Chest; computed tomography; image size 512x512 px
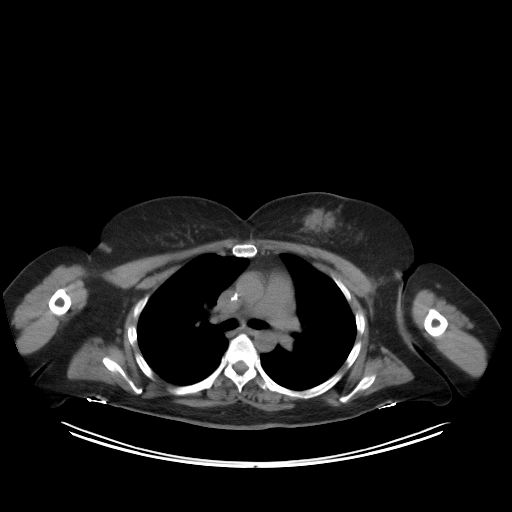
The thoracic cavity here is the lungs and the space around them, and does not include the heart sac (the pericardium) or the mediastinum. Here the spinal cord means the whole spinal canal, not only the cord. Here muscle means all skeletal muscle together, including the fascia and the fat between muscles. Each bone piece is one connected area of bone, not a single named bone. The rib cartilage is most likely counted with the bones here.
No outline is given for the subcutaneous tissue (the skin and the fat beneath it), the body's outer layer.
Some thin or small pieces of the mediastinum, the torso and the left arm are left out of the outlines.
Outlined structures:
torso: 307,191 371,201 407,229 414,260 403,274 401,326 451,389 448,403 395,402 345,420 257,430 204,427 95,397 70,398 56,407 48,403 35,380 87,315 90,251 115,213 183,194 216,200 246,218 271,199
pericardium: 277,268 280,268 286,271 290,277 293,287 293,295 295,301 295,311 292,313 265,313 259,311 254,311 253,307 256,304 256,302 262,296 264,288 260,276 257,275 255,273 255,271 256,270 264,271
spinal cord: 239,361 242,361 247,366 247,369 244,372 243,372 242,373 238,373 233,368 233,365 234,364 235,364 237,362 238,362
right arm: 65,244 73,244 82,248 87,252 89,252 91,299 89,301 86,315 76,332 33,375 30,375 24,361 20,354 16,350 14,345 14,337 10,328 10,324 6,313 3,291 21,269 31,260 48,249
bones 1: 240,333 253,343 264,371 283,387 300,391 324,382 337,372 342,377 328,390 306,399 262,389 257,377 239,392 234,382 223,375 219,384 209,388 172,394 168,390 170,386 190,385 210,375 220,364 229,341, around a hole outlined by 239,361 242,361 247,366 247,369 244,372 243,372 242,373 238,373 233,368 233,365 234,364 235,364 237,362 238,362
bones 2: 430,308 434,308 436,310 437,310 447,320 447,327 445,329 444,332 441,335 440,335 439,336 437,336 436,337 434,337 433,336 430,335 426,331 426,330 423,325 423,322 424,321 424,318 427,314 427,313
bones 3: 59,288 65,288 65,291 71,299 71,304 68,310 62,315 56,315 54,314 50,310 49,308 49,306 48,305 48,302 49,301 49,299 50,297 54,293 54,292 57,289
bones 4: 105,356 107,356 114,361 115,361 122,368 122,369 126,373 128,377 134,383 134,384 137,387 142,388 142,392 140,394 136,394 134,392 130,385 118,372 111,372 104,365 104,364 102,362 102,358
bones 5: 371,374 375,374 375,379 370,386 369,386 366,389 364,389 363,390 359,390 357,391 348,400 348,401 347,401 345,403 341,402 339,400 339,398 341,396 346,395 348,393 349,393 364,376 366,375 370,375
bones 6: 246,243 250,243 251,244 253,244 256,246 256,247 258,250 258,252 254,256 252,256 251,257 239,257 238,256 236,256 235,255 234,255 231,253 231,248 235,244 245,244
bones 7: 135,353 140,353 141,354 141,355 143,357 143,358 145,360 145,361 147,363 147,364 154,372 154,379 151,379 150,378 149,378 147,376 146,376 144,374 144,373 140,369 140,368 139,367 139,366 135,359
bones 8: 357,341 361,341 361,347 360,348 359,353 358,354 357,357 353,362 353,363 348,368 347,368 346,367 346,365 345,364 345,360 346,359 346,358 348,356 348,355 349,354 351,349 353,347 355,342 356,342
bones 9: 358,311 359,311 360,312 361,312 363,314 363,315 364,316 364,320 365,321 365,324 364,325 364,329 363,330 363,332 362,333 362,334 360,334 357,332 357,328 356,327 356,322 355,321 355,313
bones 10: 331,275 334,275 338,279 339,279 347,288 347,289 349,291 349,292 351,295 351,299 350,300 350,301 348,301 346,299 346,298 345,297 344,294 342,292 342,291 340,289 340,288 332,279 332,278 331,277
bones 11: 146,295 148,295 149,296 149,298 148,299 148,300 146,302 145,305 143,307 142,310 140,312 138,317 137,318 134,318 134,317 133,316 133,311 134,310 134,308 135,307 136,304 138,302 138,301 139,301
bones 12: 132,325 133,325 134,326 135,326 136,327 136,335 137,336 137,340 136,341 136,342 133,345 131,345 131,344 129,342 129,340 128,339 128,336 127,335 127,330 128,329 128,327 129,327 130,326 131,326
mediastinum: 271,251 285,252 280,257 291,276 295,300 286,270 256,269 263,288 252,310 292,314 296,303 297,319 283,334 281,344 259,353 246,333 229,340 224,335 226,323 218,322 215,307 219,294 247,266 247,258
muscle 1: 227,238 236,238 239,240 258,238 296,242 325,249 353,263 375,281 378,286 370,303 360,301 366,310 369,343 382,344 399,358 413,373 414,378 412,380 383,387 346,403 357,392 366,390 375,381 375,373 366,374 349,392 338,398 338,400 343,403 339,406 332,406 320,400 310,399 301,401 289,409 266,411 241,401 223,406 193,407 165,399 144,398 139,395 143,392 143,388 137,386 123,368 107,355 101,358 103,365 111,373 118,373 135,394 118,385 102,381 69,379 66,372 72,355 89,338 100,337 105,342 113,342 117,337 121,338 128,312 136,300 144,293 143,290 138,290 133,287 128,289 116,287 97,275 91,275 85,280 85,284 89,288 86,305 59,332 41,348 32,353 23,355 16,350 14,345 16,333 11,326 11,315 25,294 41,282 56,266 61,264 80,264 89,271 98,273 102,270 139,258 188,249, around holes outlined by 246,243 261,253 293,253 330,278 334,275 351,295 352,313 364,316 363,332 354,340 361,341 357,357 348,368 344,362 337,370 343,374 339,381 319,395 305,399 262,389 257,377 239,392 223,375 217,385 175,395 168,390 174,384 155,372 149,378 135,359 141,351 137,342 131,345 127,330 137,326 133,311 138,301 196,256 230,254 235,244 and by 59,288 65,288 65,291 71,299 71,304 68,310 62,315 56,315 54,314 50,310 49,308 49,306 48,305 48,302 49,301 49,299 50,297 54,293 54,292 57,289
muscle 2: 423,288 429,288 432,290 433,289 435,290 463,309 476,321 489,345 489,360 487,367 482,376 480,377 473,377 470,375 468,375 446,360 425,338 421,333 418,327 414,323 411,316 412,300 416,293 419,290, around a hole outlined by 430,308 434,308 436,310 437,310 447,320 447,327 445,329 444,332 441,335 440,335 439,336 437,336 436,337 434,337 433,336 430,335 426,331 426,330 423,325 423,322 424,321 424,318 427,314 427,313
thoracic cavity 1: 206,253 233,255 247,259 246,266 218,294 214,307 217,314 217,322 225,323 222,333 228,340 228,345 220,358 219,364 210,374 190,384 175,385 156,373 142,355 137,342 138,318 150,297 172,274 189,260
thoracic cavity 2: 286,252 304,258 331,278 348,302 354,315 356,328 354,343 337,371 324,381 300,390 291,389 276,382 265,371 260,359 260,354 269,353 277,345 282,344 284,334 298,319 295,285 292,276 281,257 281,254
left arm: 424,262 435,262 451,271 488,306 500,324 500,330 489,358 487,367 483,375 479,378 467,397 463,397 458,393 454,387 450,387 434,364 427,357 418,352 402,326 401,297 403,282 407,279 408,276 418,265